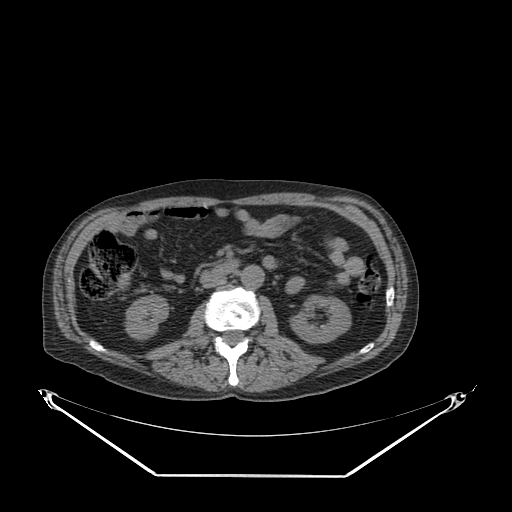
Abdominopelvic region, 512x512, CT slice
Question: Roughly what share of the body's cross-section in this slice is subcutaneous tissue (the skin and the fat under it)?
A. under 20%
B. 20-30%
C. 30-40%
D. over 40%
Answer: A. under 20%
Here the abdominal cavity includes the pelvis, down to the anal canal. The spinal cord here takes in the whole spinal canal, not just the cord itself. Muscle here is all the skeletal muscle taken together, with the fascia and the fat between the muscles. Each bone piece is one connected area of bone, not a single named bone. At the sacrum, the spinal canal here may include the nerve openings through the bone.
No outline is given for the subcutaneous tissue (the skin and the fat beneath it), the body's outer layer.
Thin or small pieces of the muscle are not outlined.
{"spinal_cord":[[[229,330],[240,330],[241,331],[243,331],[244,332],[244,337],[243,338],[243,339],[241,341],[239,341],[235,345],[234,345],[233,346],[231,346],[230,345],[229,345],[226,342],[225,342],[223,340],[223,338],[222,337],[222,333],[225,331],[228,331]]],"bones":[{"outer":[[234,286],[241,286],[254,292],[260,308],[260,315],[258,322],[248,333],[251,340],[247,350],[237,359],[235,371],[238,383],[232,386],[228,382],[230,371],[228,361],[214,349],[214,337],[216,332],[206,325],[204,310],[206,301],[214,291],[230,289]],"hole":[[229,330],[240,330],[241,331],[243,331],[244,332],[244,337],[243,338],[243,339],[241,341],[239,341],[235,345],[234,345],[233,346],[231,346],[230,345],[229,345],[226,342],[225,342],[223,340],[223,338],[222,337],[222,333],[225,331],[228,331]]},[[389,286],[393,286],[393,287],[394,288],[394,299],[393,300],[393,304],[392,305],[392,306],[390,306],[389,307],[387,307],[386,306],[386,298],[385,297],[385,294],[386,293],[386,289],[387,288],[387,287],[388,287]],[[90,338],[92,338],[93,339],[94,339],[97,342],[98,342],[101,345],[102,345],[106,349],[106,350],[108,353],[105,353],[104,352],[101,352],[100,351],[98,351],[97,350],[96,350],[95,349],[94,349],[92,347],[91,347],[89,345],[89,339]],[[372,341],[374,343],[374,345],[373,346],[373,347],[370,350],[369,350],[367,352],[366,352],[365,353],[363,353],[362,354],[359,354],[358,353],[358,351],[361,348],[362,348],[366,344],[367,344],[369,342],[371,342]]],"abdominal_cavity":[[[201,204],[315,205],[357,224],[371,239],[386,270],[385,323],[380,333],[335,359],[311,354],[279,332],[268,297],[257,297],[253,290],[234,285],[214,290],[200,303],[178,339],[139,355],[105,347],[81,329],[76,317],[74,268],[88,242],[129,211]]],"muscle":[{"outer":[[272,192],[304,192],[322,196],[349,195],[367,201],[382,214],[401,248],[408,280],[406,307],[401,322],[395,337],[380,354],[362,364],[333,374],[273,390],[248,392],[232,387],[219,391],[207,391],[204,389],[177,385],[130,368],[110,363],[89,353],[81,346],[67,339],[63,335],[57,324],[54,313],[52,290],[53,269],[62,245],[73,229],[85,217],[100,209],[137,204],[145,200],[160,197],[193,195],[230,199]],"hole":[[201,204],[315,205],[361,227],[384,264],[387,286],[394,288],[393,304],[385,307],[385,323],[373,347],[335,359],[308,353],[279,332],[274,308],[265,295],[256,298],[259,320],[248,333],[251,340],[247,350],[237,359],[235,386],[228,382],[228,361],[214,349],[216,332],[206,325],[205,301],[192,312],[180,338],[143,354],[107,347],[105,353],[91,347],[92,337],[77,321],[74,292],[74,268],[88,242],[129,211]]}],"torso":[[[196,178],[298,180],[354,188],[375,198],[392,216],[404,235],[418,275],[417,324],[404,353],[385,369],[356,383],[321,394],[274,402],[255,402],[234,397],[192,401],[153,396],[122,387],[48,355],[42,346],[42,274],[50,250],[70,221],[108,197]]]}